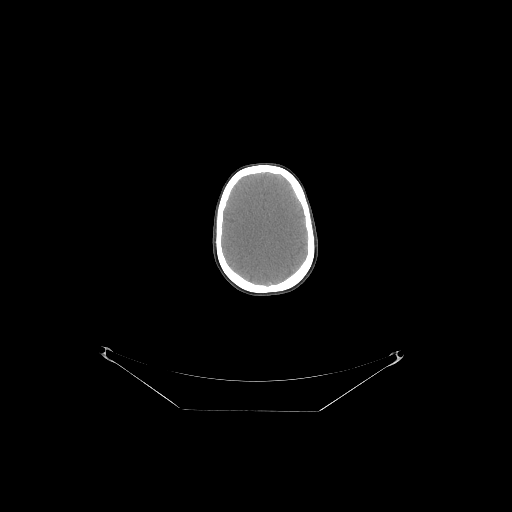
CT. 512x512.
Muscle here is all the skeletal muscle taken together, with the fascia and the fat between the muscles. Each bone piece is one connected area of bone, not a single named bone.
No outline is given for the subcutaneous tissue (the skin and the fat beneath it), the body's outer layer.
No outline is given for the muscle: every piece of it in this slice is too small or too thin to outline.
head: 256 162; 280 163; 288 167; 295 173; 307 192; 307 196; 309 198; 315 217; 319 238; 319 255; 312 275; 302 287; 287 295; 278 297; 250 297; 234 290; 221 277; 216 269; 212 257; 212 218; 214 207; 220 190; 234 170; 242 165
bones: 253 164; 273 164; 285 168; 291 172; 300 182; 310 208; 315 247; 311 266; 299 282; 294 286; 281 291; 258 293; 251 292; 239 287; 227 277; 222 270; 217 258; 215 245; 215 228; 216 210; 220 195; 226 182; 235 172; 241 168, around a hole outlined by 264 173; 280 176; 287 182; 301 208; 303 216; 303 225; 305 229; 306 236; 305 255; 295 270; 283 279; 277 282; 271 282; 267 284; 254 282; 247 279; 236 271; 228 262; 223 250; 222 243; 224 212; 234 187; 244 177
brain: 264 173; 280 176; 287 182; 301 208; 303 216; 303 225; 305 229; 306 236; 305 255; 295 270; 283 279; 277 282; 271 282; 267 284; 254 282; 247 279; 236 271; 228 262; 223 250; 222 243; 224 212; 234 187; 244 177